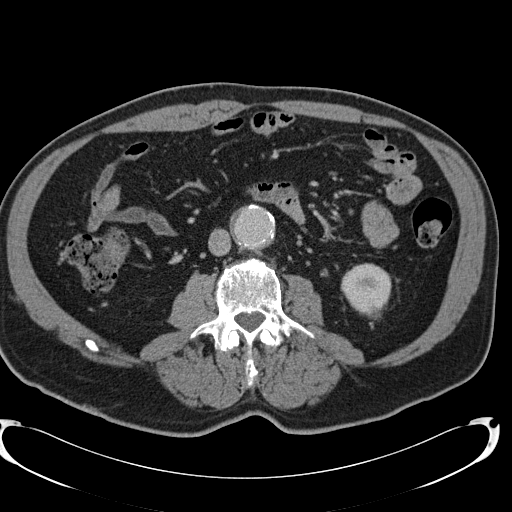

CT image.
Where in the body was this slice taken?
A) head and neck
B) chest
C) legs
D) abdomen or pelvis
D) abdomen or pelvis
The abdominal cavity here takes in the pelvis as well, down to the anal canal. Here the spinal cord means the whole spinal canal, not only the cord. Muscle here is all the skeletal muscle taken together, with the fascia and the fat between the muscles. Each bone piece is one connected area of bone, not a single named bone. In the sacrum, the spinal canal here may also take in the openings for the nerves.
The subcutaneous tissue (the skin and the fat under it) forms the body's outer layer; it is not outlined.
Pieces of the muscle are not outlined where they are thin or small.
The abdominal cavity is outlined by 260 106; 405 130; 431 155; 454 195; 459 231; 427 327; 367 360; 323 327; 308 278; 288 273; 285 283; 257 257; 225 266; 217 279; 194 272; 166 319; 177 329; 138 355; 68 313; 28 251; 32 213; 60 164; 102 134; 185 132. The muscle is outlined by 212 99; 234 100; 245 104; 253 102; 273 102; 281 100; 306 100; 307 101; 326 102; 327 103; 346 105; 357 108; 364 112; 378 114; 382 116; 393 118; 404 123; 428 137; 446 144; 457 151; 473 172; 482 191; 485 207; 486 232; 485 233; 485 246; 483 254; 483 265; 479 284; 476 292; 470 300; 467 309; 453 331; 444 339; 438 342; 430 350; 405 363; 388 367; 378 367; 377 366; 352 367; 349 371; 344 371; 335 387; 321 401; 312 406; 297 409; 283 410; 271 405; 257 391; 254 394; 251 394; 248 391; 237 402; 226 408; 219 410; 213 409; 206 410; 193 408; 181 402; 160 382; 159 377; 151 367; 140 367; 139 366; 118 367; 92 361; 83 356; 75 348; 61 341; 51 331; 46 330; 37 324; 29 316; 25 306; 16 299; 16 295; 9 276; 7 265; 7 255; 6 254; 6 228; 10 209; 18 189; 29 173; 44 158; 54 150; 110 124; 124 120; 129 117; 149 110; 153 110; 165 106; 182 103; 198 104; 201 102 with holes at 260 106; 405 130; 431 155; 459 231; 427 327; 367 360; 288 273; 282 309; 315 337; 257 338; 248 386; 243 338; 225 351; 189 338; 218 314; 215 272; 189 277; 166 319; 177 329; 138 355; 68 313; 28 251; 60 164; 102 134 and at 86 339; 92 339; 96 343; 96 344; 98 346; 98 347; 99 348; 99 350; 98 351; 92 351; 91 350; 90 350; 85 345; 85 340. The spinal cord is outlined by 253 312; 258 312; 259 313; 261 313; 264 316; 264 318; 263 319; 263 320; 255 328; 254 328; 250 331; 245 329; 242 326; 241 326; 235 320; 235 316; 236 316; 238 314; 240 314; 241 313; 247 313; 248 314; 250 314. The torso is outlined by 202 82; 359 93; 433 123; 468 151; 490 190; 499 230; 493 335; 484 363; 470 379; 391 417; 323 433; 286 433; 251 415; 204 435; 170 437; 79 410; 24 383; 9 369; 0 355; 0 202; 16 174; 44 145; 84 120; 156 90. The bones appear in 2 outlined pieces: piece 1: 249 258; 262 260; 274 269; 280 281; 283 311; 315 335; 311 338; 293 329; 275 347; 257 338; 251 355; 257 374; 250 386; 243 338; 239 345; 225 351; 214 348; 214 338; 209 333; 189 338; 195 328; 218 314; 214 293; 223 269, around a hole outlined by 253 312; 258 312; 259 313; 261 313; 264 316; 264 318; 263 319; 263 320; 255 328; 254 328; 250 331; 245 329; 242 326; 241 326; 235 320; 235 316; 236 316; 238 314; 240 314; 241 313; 247 313; 248 314; 250 314; piece 2: 86 339; 92 339; 96 343; 96 344; 98 346; 98 347; 99 348; 99 350; 98 351; 92 351; 91 350; 90 350; 85 345; 85 340.